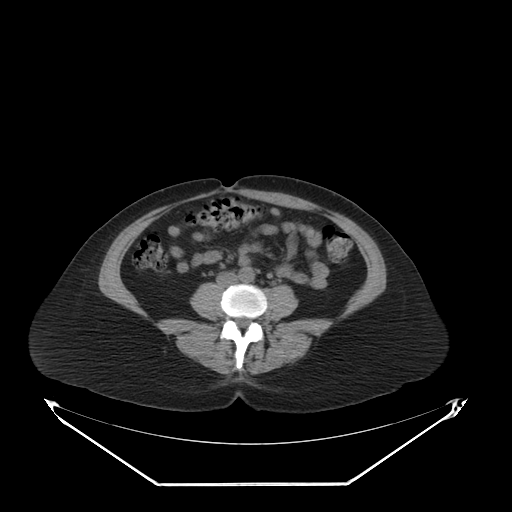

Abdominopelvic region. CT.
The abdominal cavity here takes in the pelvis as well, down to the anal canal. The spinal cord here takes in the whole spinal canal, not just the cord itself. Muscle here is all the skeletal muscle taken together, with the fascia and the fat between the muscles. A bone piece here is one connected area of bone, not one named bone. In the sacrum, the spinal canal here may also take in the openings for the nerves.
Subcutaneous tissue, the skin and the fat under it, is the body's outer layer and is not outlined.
The torso is outlined by [[265,173],[332,189],[392,234],[415,264],[450,328],[451,350],[433,374],[394,392],[326,411],[256,411],[238,398],[224,409],[182,412],[106,397],[47,378],[35,368],[27,349],[32,316],[97,228],[133,201],[174,183],[215,177],[229,186],[243,176]]. The muscle is outlined by [[242,187],[244,188],[257,189],[258,190],[265,190],[266,191],[279,191],[280,192],[291,194],[309,200],[321,206],[323,206],[326,208],[328,208],[331,210],[343,214],[354,221],[365,231],[366,231],[375,241],[382,254],[386,266],[386,287],[384,291],[370,303],[364,307],[355,311],[347,318],[332,326],[319,337],[317,337],[309,348],[306,354],[295,363],[291,365],[285,365],[282,367],[276,369],[273,369],[268,372],[265,372],[256,375],[249,375],[241,370],[236,370],[234,371],[231,375],[224,375],[223,374],[220,374],[209,368],[207,368],[187,357],[184,355],[171,341],[168,340],[165,334],[155,326],[152,325],[148,321],[143,319],[135,312],[124,307],[119,303],[117,303],[108,297],[105,296],[99,289],[98,286],[98,275],[105,254],[113,240],[126,226],[139,217],[142,216],[149,211],[155,209],[160,206],[169,203],[172,203],[175,201],[178,201],[196,195],[199,193],[208,192],[217,188],[220,188],[221,189],[237,189]], around a hole outlined by [[228,192],[328,218],[366,265],[363,283],[334,317],[282,320],[299,304],[294,290],[285,283],[264,287],[267,307],[257,318],[263,339],[248,344],[241,369],[234,341],[220,338],[225,287],[206,281],[189,297],[205,319],[156,320],[120,271],[152,222]]. The abdominal cavity is outlined by [[228,192],[328,218],[355,242],[366,265],[365,279],[334,317],[282,320],[299,304],[294,290],[285,283],[262,289],[244,282],[226,287],[214,281],[203,282],[189,297],[188,305],[205,319],[156,320],[142,307],[125,285],[120,271],[134,240],[171,209]]. The bones are outlined by [[239,283],[257,286],[263,291],[267,299],[265,311],[257,318],[263,331],[263,339],[248,344],[244,353],[241,369],[238,369],[235,365],[234,353],[236,346],[234,341],[232,339],[220,338],[222,326],[226,319],[226,314],[220,305],[222,292],[228,286]] with a hole at [[241,317],[246,317],[247,318],[249,318],[250,319],[251,319],[252,320],[251,321],[251,322],[248,325],[248,326],[245,329],[241,329],[237,325],[237,324],[236,323],[236,322],[235,321],[235,320],[234,319],[235,318],[240,318]]. The spinal cord is outlined by [[241,317],[246,317],[247,318],[249,318],[250,319],[251,319],[252,320],[251,321],[251,322],[248,325],[248,326],[245,329],[241,329],[237,325],[237,324],[236,323],[236,322],[235,321],[235,320],[234,319],[235,318],[240,318]].